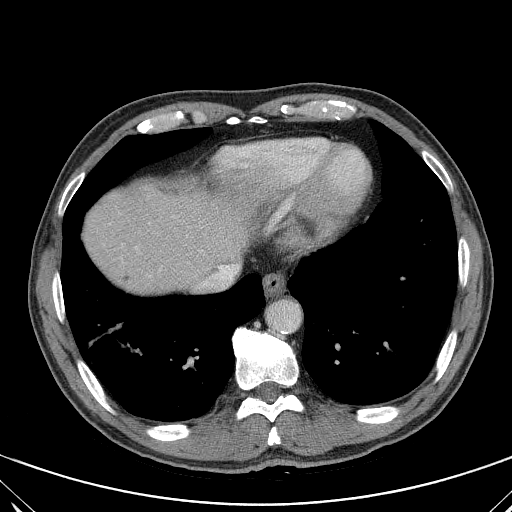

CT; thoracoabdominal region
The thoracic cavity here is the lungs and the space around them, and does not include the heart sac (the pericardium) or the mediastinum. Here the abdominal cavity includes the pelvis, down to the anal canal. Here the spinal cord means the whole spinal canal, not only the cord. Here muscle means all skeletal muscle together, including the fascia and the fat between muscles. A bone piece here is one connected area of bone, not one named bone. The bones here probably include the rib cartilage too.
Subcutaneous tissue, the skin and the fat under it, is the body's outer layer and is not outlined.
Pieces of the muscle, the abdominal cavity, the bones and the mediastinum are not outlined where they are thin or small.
The bones appear in 13 outlined pieces: piece 1: 239,326 278,336 292,347 300,368 300,375 293,385 292,391 305,405 303,412 289,409 283,410 272,423 260,413 252,413 240,420 235,419 234,413 246,394 245,391 238,387 234,380 235,355 232,336 235,329 with a hole at 264,382 274,382 275,383 277,383 281,386 281,388 282,389 282,392 277,397 277,398 274,401 273,401 270,403 269,403 268,402 266,402 262,399 261,399 259,397 256,396 256,388; piece 2: 318,99 321,99 322,100 326,100 327,99 341,100 349,104 354,105 357,108 357,111 352,117 341,120 308,119 305,116 300,114 284,114 281,112 280,110 280,106 282,104 299,105 310,100 317,100; piece 3: 176,110 182,110 186,114 186,116 188,119 186,123 181,124 177,128 163,131 162,132 157,132 156,133 141,133 140,132 137,132 136,130 136,126 141,121 147,118 155,116 158,114 166,113 167,112 175,111; piece 4: 77,358 81,358 84,361 96,377 98,381 101,384 107,396 109,398 109,403 116,411 116,414 112,414 108,411 104,407 103,407 92,395 86,386 85,383 83,381 79,373 79,371 76,365 76,359; piece 5: 391,404 392,405 395,405 399,407 400,408 400,411 397,415 397,416 390,421 384,422 383,423 366,423 365,422 360,422 355,418 355,411 356,409 362,408 363,407 366,407 367,406 381,406 382,405 390,405; piece 6: 175,422 179,422 180,423 186,424 190,428 191,428 191,432 188,435 188,436 184,438 180,438 175,440 164,441 163,440 159,440 149,436 145,431 146,428 152,425 156,425 157,424 169,424 170,423 174,423; piece 7: 453,328 455,328 457,330 457,338 456,339 455,348 453,351 452,356 446,369 442,374 441,377 435,383 434,383 433,382 433,379 435,376 435,373 433,371 432,372 432,369 434,367 437,356 447,336 447,334; piece 8: 462,235 463,235 465,237 465,238 466,239 466,240 468,243 468,246 469,247 469,269 468,270 468,274 467,275 467,281 466,282 466,284 464,287 461,287 458,284 458,239 459,238 459,237; piece 9: 422,149 425,149 429,152 430,152 435,157 436,157 437,159 441,163 451,180 451,182 453,185 453,192 451,193 448,193 447,190 445,188 442,182 429,167 429,166 424,161 424,160 420,155 420,151; piece 10: 82,170 84,170 86,172 86,175 76,190 75,193 71,198 69,203 67,205 63,216 62,217 60,217 58,216 57,214 57,211 58,210 58,206 59,205 59,202 61,199 62,194 69,181 75,175 79,173; piece 11: 55,270 58,270 59,271 60,281 61,282 61,288 63,294 63,302 65,307 65,315 66,318 63,323 60,322 57,316 54,302 53,301 53,296 52,295 51,283 52,282 52,277; piece 12: 196,110 199,110 200,111 201,111 202,112 203,112 207,116 207,121 206,121 205,122 204,122 201,124 195,124 193,122 192,122 190,119 190,116 191,115 191,113 193,111 195,111; piece 13: 272,425 274,425 276,427 276,429 277,430 277,433 278,434 278,435 280,438 280,440 281,441 281,442 279,444 274,443 272,445 269,445 267,443 267,438 268,437 268,435 269,434 269,432 270,431 270,428. The muscle is outlined by 303,93 328,93 329,94 342,95 359,100 384,111 408,127 419,138 429,144 437,153 450,171 461,192 464,207 475,223 483,247 482,250 482,257 483,258 482,312 472,344 463,362 450,383 431,407 424,413 415,417 400,428 382,437 375,438 359,443 336,446 324,453 320,453 315,455 301,455 285,449 281,446 277,447 270,446 256,457 242,461 236,461 235,460 196,460 195,459 189,459 164,454 161,452 153,450 142,444 138,443 128,437 115,427 104,422 97,415 93,414 83,404 69,386 64,374 59,368 44,337 42,328 42,320 35,293 35,286 36,285 39,257 48,241 48,232 51,223 50,218 57,197 74,169 98,146 105,141 114,130 129,119 138,115 140,113 168,104 183,101 187,102 193,102 194,101 216,102 237,107 243,110 248,110 261,103 278,97 292,94 302,94; inner edges: 318,99 354,105 353,118 374,119 418,154 427,150 451,180 456,237 468,243 469,269 465,286 456,286 447,327 448,333 457,330 449,363 435,383 431,370 388,403 400,411 387,422 358,421 355,411 362,406 334,400 301,373 292,391 303,412 283,410 272,423 260,413 236,420 246,392 231,379 207,412 183,422 191,428 188,436 153,438 145,430 155,421 128,412 108,394 116,414 95,399 77,368 82,356 68,319 61,323 57,316 51,283 61,266 62,194 75,175 87,174 147,118 182,110 188,120 180,127 230,116 243,122 255,115 304,121 280,106, then 196,110 199,110 200,111 201,111 202,112 203,112 207,116 207,121 206,121 205,122 204,122 201,124 195,124 193,122 192,122 190,119 190,116 191,115 191,113 193,111 195,111, then 272,425 274,425 276,427 276,429 277,430 277,433 278,434 278,435 280,438 280,440 281,441 281,442 279,444 274,443 272,445 269,445 267,443 267,438 268,437 268,435 269,434 269,432 270,431 270,428. The pericardium is outlined by 304,129 328,130 345,136 359,145 366,154 373,172 373,189 368,203 360,217 337,240 289,263 283,261 279,255 273,252 262,242 261,232 248,209 238,199 215,187 193,166 196,160 208,148 220,140 269,136. The thoracic cavity appears in 2 outlined pieces: piece 1: 369,119 382,123 403,138 446,190 457,238 457,285 447,333 427,376 411,391 387,404 356,406 325,395 305,373 301,373 298,359 301,359 305,317 288,282 302,258 334,243 354,227 365,223 383,197 383,163; piece 2: 194,127 210,127 206,137 140,167 105,191 83,215 79,232 101,275 135,297 224,292 247,274 256,273 261,279 263,307 231,336 233,379 203,415 156,424 115,401 82,358 64,302 62,223 87,174 121,138. The spinal cord is outlined by 264,382 274,382 275,383 277,383 281,386 281,388 282,389 282,392 277,397 277,398 274,401 273,401 270,403 269,403 268,402 266,402 262,399 261,399 259,397 256,396 256,388. The mediastinum appears in 2 outlined pieces: piece 1: 272,117 286,121 369,118 382,163 382,197 367,220 349,230 369,203 374,189 374,172 359,144 328,129 304,128 220,139 193,164 128,177 144,166 198,144 212,132 212,128 196,126 222,121 228,125 264,124; piece 2: 261,239 261,242 279,256 283,262 291,264 300,259 287,282 291,295 299,302 303,310 304,331 300,359 293,347 278,335 267,331 254,330 243,325 252,320 265,305 260,275 256,272 250,272 243,276 246,259. The torso is outlined by 299,82 349,85 388,96 413,113 457,164 480,211 493,260 493,298 481,344 456,393 431,422 366,455 235,474 189,470 142,457 107,438 76,411 36,339 27,284 32,244 49,195 81,138 128,102 176,90. The abdominal cavity is outlined by 191,165 193,165 192,167 219,191 238,200 247,209 260,232 260,240 248,253 245,259 242,276 224,291 189,295 171,294 157,297 140,297 125,293 116,288 102,275 84,248 80,238 84,215 105,192 126,178.